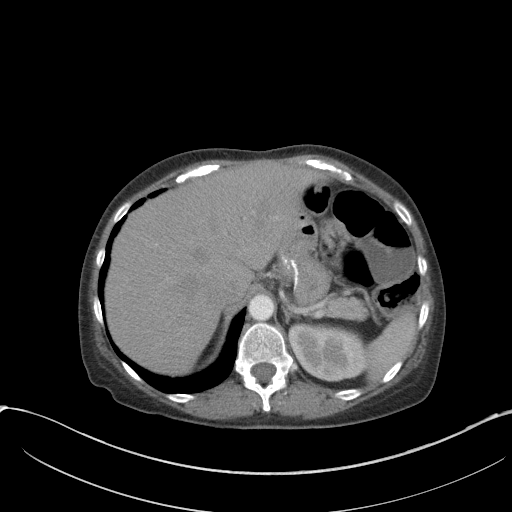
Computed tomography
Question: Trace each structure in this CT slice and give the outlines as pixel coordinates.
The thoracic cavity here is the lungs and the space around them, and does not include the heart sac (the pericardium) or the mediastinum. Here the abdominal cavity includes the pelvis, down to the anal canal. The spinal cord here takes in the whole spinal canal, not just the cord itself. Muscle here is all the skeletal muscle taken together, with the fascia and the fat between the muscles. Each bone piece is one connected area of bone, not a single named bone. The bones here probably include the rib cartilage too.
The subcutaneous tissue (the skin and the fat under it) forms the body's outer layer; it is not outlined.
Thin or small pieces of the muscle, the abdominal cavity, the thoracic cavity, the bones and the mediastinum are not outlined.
Answer: The torso is outlined by [[301,143],[336,147],[377,165],[405,188],[423,217],[440,265],[446,305],[438,371],[427,397],[387,417],[339,428],[235,430],[138,412],[116,403],[106,389],[93,385],[80,353],[78,288],[88,243],[113,196],[142,170],[179,152],[208,147],[265,150]]. The mediastinum is outlined by [[258,292],[263,292],[269,295],[271,298],[273,302],[274,320],[277,327],[266,321],[257,321],[249,325],[242,332],[243,325],[245,321],[245,316],[246,315],[246,309],[245,308],[246,307],[246,304],[248,303],[248,300],[254,294],[257,294]]. The abdominal cavity is outlined by [[257,160],[305,164],[334,174],[375,195],[407,226],[420,277],[417,324],[405,352],[379,379],[336,389],[304,377],[277,326],[274,302],[263,291],[233,317],[218,357],[198,373],[156,374],[112,339],[105,322],[104,284],[112,242],[126,214],[162,187]]. The muscle appears in 2 outlined pieces: piece 1: [[407,207],[422,234],[431,270],[434,309],[427,336],[426,352],[419,365],[398,383],[344,411],[313,419],[260,412],[229,420],[201,418],[163,403],[136,388],[100,354],[96,346],[88,301],[92,261],[102,232],[117,208],[112,219],[114,224],[105,246],[97,251],[95,257],[95,264],[99,272],[97,294],[92,298],[92,309],[97,321],[102,326],[105,326],[110,344],[119,357],[121,365],[133,379],[140,383],[144,381],[166,393],[165,396],[171,401],[186,403],[196,397],[194,393],[216,386],[233,371],[240,375],[242,384],[246,389],[259,395],[261,398],[261,409],[267,413],[271,409],[271,395],[276,391],[285,389],[289,373],[293,373],[298,369],[304,378],[321,386],[338,390],[333,393],[336,398],[343,401],[352,400],[362,394],[363,391],[360,388],[380,378],[382,383],[386,383],[397,374],[403,364],[400,359],[410,346],[416,328],[420,330],[428,318],[430,306],[426,300],[421,304],[420,289],[421,277],[426,274],[428,266],[426,259],[421,254],[417,254],[412,234],[408,228],[412,224],[412,217]]; piece 2: [[307,153],[321,154],[343,162],[400,199],[405,205],[396,199],[392,203],[392,208],[390,207],[375,194],[355,183],[350,182],[354,178],[348,171],[320,158],[306,158],[302,161],[303,163],[280,162],[271,159],[257,159],[255,161],[231,167],[221,167],[218,163],[200,164],[178,174],[173,180],[174,183],[151,191],[133,203],[129,200],[122,203],[128,197],[170,171],[194,162],[207,159],[248,160],[256,158],[281,158]]. The thoracic cavity appears in 3 outlined pieces: piece 1: [[244,308],[245,309],[244,321],[237,341],[237,351],[231,372],[225,379],[216,385],[193,393],[165,392],[145,381],[116,353],[107,333],[107,329],[111,339],[119,350],[138,366],[156,375],[170,378],[183,378],[202,372],[216,361],[223,349],[232,320]]; piece 2: [[125,215],[125,218],[121,223],[117,233],[114,236],[111,242],[111,247],[109,252],[109,263],[106,270],[104,278],[104,283],[103,284],[104,319],[102,305],[98,295],[99,273],[105,259],[105,255],[106,254],[106,248],[105,247],[110,233],[114,225]]; piece 3: [[141,198],[144,198],[144,201],[141,204],[140,204],[139,205],[138,205],[137,206],[137,207],[136,207],[135,208],[134,208],[133,209],[132,209],[129,211],[129,210],[130,209],[130,208],[132,206],[132,205],[136,201],[137,201],[139,199],[140,199]]. The spinal cord is outlined by [[262,362],[266,362],[267,363],[272,364],[275,367],[275,371],[272,375],[272,376],[270,378],[270,380],[268,382],[260,382],[259,381],[258,381],[257,380],[257,378],[252,373],[252,372],[251,371],[251,369],[254,365],[255,365],[258,363],[261,363]]. The bones appear in 11 outlined pieces: piece 1: [[257,322],[266,322],[273,325],[281,332],[286,349],[298,367],[295,371],[290,371],[288,373],[285,388],[276,390],[270,395],[270,409],[267,412],[262,409],[262,398],[260,395],[254,390],[246,388],[241,375],[233,370],[238,351],[239,338],[249,326]] with a hole at [[262,362],[266,362],[267,363],[272,364],[275,367],[275,371],[272,375],[272,376],[270,378],[270,380],[268,382],[260,382],[259,381],[258,381],[257,380],[257,378],[252,373],[252,372],[251,371],[251,369],[254,365],[255,365],[258,363],[261,363]]; piece 2: [[306,159],[320,159],[325,162],[327,162],[330,164],[332,164],[334,166],[348,172],[353,178],[352,180],[350,181],[347,181],[337,173],[335,173],[328,170],[325,170],[324,169],[318,169],[317,168],[312,167],[309,165],[307,165],[303,162],[303,161]]; piece 3: [[206,164],[218,164],[220,166],[219,169],[214,170],[209,173],[207,173],[203,175],[198,175],[194,177],[190,177],[186,179],[184,181],[182,181],[181,182],[175,182],[174,180],[178,175],[188,170],[190,170],[193,168],[195,168],[200,165],[205,165]]; piece 4: [[396,200],[401,202],[406,207],[406,208],[408,210],[408,211],[410,214],[410,216],[411,217],[411,224],[409,226],[408,226],[401,219],[401,218],[396,213],[396,212],[394,210],[394,209],[393,208],[393,203],[394,202],[394,201],[395,201]]; piece 5: [[352,388],[359,388],[362,391],[362,392],[360,395],[359,395],[352,399],[350,399],[349,400],[343,400],[340,398],[338,398],[337,397],[336,397],[334,395],[334,393],[335,393],[337,391],[338,391],[339,390],[344,390],[345,389],[351,389]]; piece 6: [[167,393],[184,393],[185,394],[193,394],[195,396],[195,397],[193,399],[191,399],[190,400],[189,400],[188,401],[187,401],[186,402],[177,402],[176,401],[174,401],[173,400],[171,400],[170,399],[169,399],[166,396],[166,394]]; piece 7: [[424,301],[426,301],[428,303],[428,305],[429,306],[429,310],[428,311],[428,314],[427,315],[427,318],[426,319],[423,326],[420,329],[419,329],[417,327],[417,325],[418,324],[418,318],[419,317],[419,312],[420,311],[420,308],[421,307],[421,305]]; piece 8: [[399,360],[401,360],[402,361],[402,364],[401,365],[401,366],[400,367],[400,368],[399,369],[399,370],[396,373],[396,374],[390,380],[389,380],[386,382],[382,382],[381,381],[381,379],[383,377],[383,376],[386,373],[386,372],[396,362],[397,362]]; piece 9: [[96,295],[98,296],[98,298],[99,299],[99,301],[101,305],[101,310],[102,311],[102,316],[104,320],[104,324],[102,325],[98,321],[94,313],[94,310],[93,309],[93,298],[94,296]]; piece 10: [[127,201],[129,201],[132,203],[131,206],[129,208],[128,211],[117,222],[114,223],[114,222],[113,221],[113,219],[114,218],[114,215],[115,214],[116,211],[118,209],[118,208],[122,204],[123,204],[125,202],[126,202]]; piece 11: [[121,360],[122,360],[123,361],[124,361],[143,380],[143,382],[140,382],[139,381],[138,381],[137,380],[136,380],[134,378],[133,378],[126,371],[126,370],[124,368],[124,367],[122,365],[122,364],[121,363]].